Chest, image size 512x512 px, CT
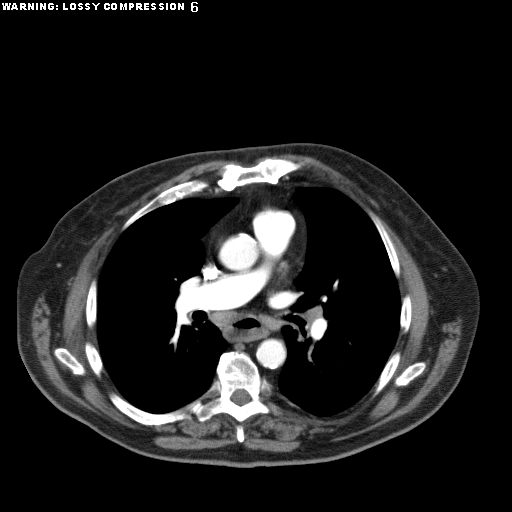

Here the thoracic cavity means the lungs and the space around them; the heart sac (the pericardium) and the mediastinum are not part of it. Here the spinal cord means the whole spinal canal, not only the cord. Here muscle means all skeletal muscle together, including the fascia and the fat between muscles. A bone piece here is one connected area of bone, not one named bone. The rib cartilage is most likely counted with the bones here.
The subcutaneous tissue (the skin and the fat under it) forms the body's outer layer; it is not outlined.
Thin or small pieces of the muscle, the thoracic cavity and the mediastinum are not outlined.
{"muscle":[{"outer":[[282,153],[306,155],[316,158],[335,169],[352,181],[358,188],[375,201],[377,204],[377,209],[375,210],[376,212],[399,237],[419,268],[426,291],[429,296],[428,301],[430,306],[430,312],[427,329],[424,336],[424,343],[426,345],[436,347],[443,336],[441,331],[442,324],[446,322],[454,321],[457,318],[461,318],[462,320],[461,337],[455,356],[442,378],[419,404],[409,412],[362,433],[347,438],[335,440],[333,442],[317,442],[309,439],[304,439],[298,447],[285,452],[275,452],[262,449],[247,448],[241,443],[227,444],[215,448],[170,449],[161,447],[154,443],[152,440],[151,433],[144,430],[130,428],[111,421],[79,405],[58,390],[45,374],[36,354],[35,346],[31,335],[32,309],[35,301],[42,293],[51,311],[50,315],[51,329],[53,332],[61,331],[65,301],[70,287],[69,284],[70,279],[76,274],[82,259],[96,240],[114,222],[120,218],[118,216],[115,216],[115,213],[121,208],[139,198],[151,188],[179,174],[191,166],[216,159],[237,160],[244,164],[249,164],[260,157]],"holes":[[[268,157],[302,163],[285,177],[315,178],[380,219],[398,258],[400,299],[411,301],[409,328],[399,330],[391,351],[400,352],[397,367],[378,394],[374,385],[330,416],[272,392],[277,413],[244,420],[242,442],[238,422],[223,412],[204,421],[192,414],[137,422],[110,400],[119,392],[106,370],[98,377],[88,362],[85,343],[98,348],[96,326],[86,322],[90,284],[123,224],[160,192],[194,179],[210,189],[223,165]],[[58,347],[63,347],[64,348],[67,349],[76,358],[76,359],[83,366],[83,367],[85,369],[85,373],[83,375],[79,375],[78,374],[74,374],[72,372],[72,371],[66,365],[65,365],[62,362],[61,362],[55,356],[55,355],[54,354],[54,350]],[[420,361],[423,361],[426,365],[423,371],[419,375],[418,375],[412,380],[411,380],[406,385],[403,385],[402,386],[397,386],[395,385],[394,383],[394,381],[395,379],[408,366],[409,366],[413,363],[415,363],[416,362],[419,362]]]}],"thoracic_cavity":[[[187,197],[238,199],[238,202],[200,238],[203,246],[203,263],[197,276],[197,301],[206,319],[220,331],[226,346],[218,358],[215,379],[201,395],[174,410],[153,413],[126,400],[104,368],[96,331],[98,280],[109,252],[123,231],[153,210]],[[320,186],[339,190],[367,214],[385,248],[401,301],[397,338],[374,385],[353,405],[330,416],[307,412],[285,397],[276,395],[272,389],[288,355],[281,329],[290,323],[285,318],[296,299],[294,279],[304,266],[308,243],[306,219],[293,195],[297,188]]],"bones":[{"outer":[[234,350],[249,355],[261,377],[271,384],[269,399],[277,406],[276,414],[257,413],[241,423],[242,442],[236,437],[238,422],[227,413],[204,421],[192,414],[191,419],[144,425],[120,411],[109,398],[115,392],[149,413],[174,411],[211,386],[221,354]],"hole":[[238,389],[243,389],[244,390],[245,390],[248,393],[248,394],[250,397],[250,400],[249,401],[248,401],[247,402],[246,402],[245,403],[244,403],[241,405],[239,405],[238,404],[235,403],[231,399],[231,396],[232,395],[232,394],[236,390],[237,390]]},[[268,157],[283,158],[302,163],[302,166],[299,169],[282,176],[277,183],[273,184],[267,182],[255,182],[237,186],[229,191],[223,190],[221,187],[214,187],[216,185],[216,180],[220,176],[218,173],[223,165],[227,163],[235,163],[248,167],[255,165]],[[194,179],[199,179],[200,180],[207,181],[209,183],[208,188],[206,188],[200,192],[194,193],[190,196],[187,196],[181,199],[178,199],[173,202],[159,206],[135,220],[124,230],[121,229],[123,224],[138,209],[146,204],[160,192],[176,184],[186,182]],[[368,210],[372,211],[380,219],[394,245],[396,251],[396,254],[398,258],[399,268],[400,269],[400,274],[399,277],[397,278],[391,266],[390,260],[386,248],[384,245],[384,243],[381,238],[381,236],[376,226],[367,213]],[[396,351],[399,351],[400,352],[400,358],[399,359],[399,362],[397,365],[397,367],[394,373],[392,375],[392,377],[386,385],[379,392],[379,393],[375,396],[373,396],[373,392],[374,391],[375,384],[378,380],[378,378],[382,370],[384,368],[391,354]],[[93,279],[95,279],[97,281],[97,293],[96,294],[96,322],[95,323],[95,325],[90,328],[88,327],[87,325],[87,323],[86,322],[86,315],[85,314],[85,309],[86,308],[86,301],[87,300],[87,295],[88,294],[88,290],[89,289],[90,284]],[[58,347],[63,347],[64,348],[67,349],[76,358],[76,359],[83,366],[83,367],[85,369],[85,373],[83,375],[79,375],[78,374],[74,374],[72,372],[72,371],[66,365],[65,365],[62,362],[61,362],[55,356],[55,355],[54,354],[54,350]],[[420,361],[423,361],[426,365],[423,371],[419,375],[418,375],[412,380],[411,380],[406,385],[403,385],[402,386],[397,386],[395,385],[394,383],[394,381],[395,379],[408,366],[409,366],[413,363],[415,363],[416,362],[419,362]],[[87,341],[89,341],[96,347],[96,348],[98,350],[99,355],[101,358],[101,360],[103,364],[103,368],[104,369],[101,373],[101,375],[100,377],[98,377],[94,373],[94,372],[92,370],[88,362],[88,360],[87,359],[87,357],[85,353],[85,343]],[[406,294],[408,294],[409,295],[410,297],[410,300],[411,301],[411,319],[410,320],[410,323],[409,324],[409,328],[407,332],[406,333],[403,333],[400,329],[400,314],[401,313],[401,304],[402,303],[402,301],[401,300],[402,298]]],"pericardium":[[[256,197],[260,199],[267,199],[290,210],[294,210],[303,220],[305,228],[305,245],[302,263],[293,274],[293,301],[284,304],[279,308],[272,308],[259,313],[225,311],[222,307],[220,307],[219,303],[207,288],[205,269],[208,264],[212,236],[251,198]]],"torso":[[[288,142],[333,145],[382,169],[425,210],[470,266],[480,295],[478,325],[463,375],[443,405],[413,429],[343,458],[250,468],[144,456],[103,437],[56,408],[32,380],[18,350],[16,286],[22,264],[43,245],[62,215],[111,179],[153,161],[196,151]]],"mediastinum":[[[288,176],[325,184],[300,186],[292,195],[304,216],[307,231],[300,272],[294,274],[302,216],[294,209],[258,196],[213,233],[204,269],[206,288],[225,312],[259,314],[292,303],[280,329],[287,355],[272,383],[248,353],[225,351],[227,341],[197,296],[201,238],[239,199],[191,196]]],"spinal_cord":[[[238,389],[243,389],[244,390],[245,390],[248,393],[248,394],[250,397],[250,400],[249,401],[248,401],[247,402],[246,402],[245,403],[244,403],[241,405],[239,405],[238,404],[235,403],[231,399],[231,396],[232,395],[232,394],[236,390],[237,390]]]}